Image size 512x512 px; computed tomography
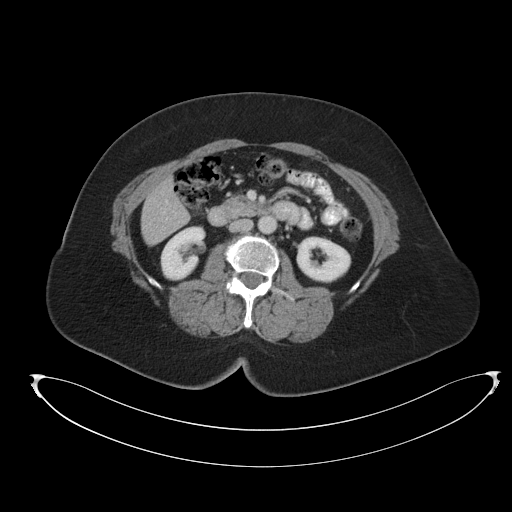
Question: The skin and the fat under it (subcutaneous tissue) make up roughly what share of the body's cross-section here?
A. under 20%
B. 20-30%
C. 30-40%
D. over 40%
Answer: D. over 40%
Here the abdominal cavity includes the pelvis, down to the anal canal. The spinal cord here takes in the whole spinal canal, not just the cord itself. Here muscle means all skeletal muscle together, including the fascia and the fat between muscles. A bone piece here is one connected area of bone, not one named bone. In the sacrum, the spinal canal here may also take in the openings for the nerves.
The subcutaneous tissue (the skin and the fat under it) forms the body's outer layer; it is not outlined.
{"spinal_cord":[[[246,272],[250,272],[251,273],[256,273],[257,274],[259,274],[260,275],[261,275],[264,278],[264,280],[262,282],[261,282],[259,284],[258,284],[255,287],[254,287],[253,288],[250,288],[249,287],[246,286],[240,279],[240,275],[242,273],[245,273]]],"abdominal_cavity":[[[240,147],[275,148],[310,157],[327,166],[358,194],[371,219],[373,251],[367,266],[349,287],[332,291],[322,285],[303,286],[285,251],[258,234],[243,234],[217,243],[199,277],[172,286],[161,284],[142,266],[130,238],[131,213],[176,170],[202,157]]],"torso":[[[241,91],[331,101],[362,113],[389,134],[407,159],[450,244],[477,279],[480,315],[464,340],[344,387],[275,397],[252,386],[241,367],[204,389],[161,383],[81,348],[56,331],[44,301],[49,262],[77,195],[104,151],[124,131],[159,109],[194,97]]],"muscle":[{"outer":[[223,138],[237,138],[246,142],[258,143],[291,141],[319,149],[371,179],[385,194],[398,215],[401,229],[399,249],[384,261],[376,279],[369,287],[341,311],[323,333],[305,345],[280,345],[268,342],[249,329],[243,329],[231,335],[215,338],[198,337],[187,333],[176,325],[164,308],[155,305],[149,294],[133,282],[128,262],[122,255],[113,251],[111,247],[112,204],[116,195],[128,182],[148,168],[168,162],[206,143]],"hole":[[240,147],[310,157],[358,194],[373,251],[353,292],[303,286],[280,248],[272,285],[294,299],[270,290],[257,296],[246,328],[244,299],[225,287],[234,271],[224,254],[229,240],[211,248],[199,277],[162,289],[148,281],[130,238],[131,213],[176,170]]}],"bones":[{"outer":[[243,235],[261,236],[277,249],[280,261],[272,277],[272,285],[294,298],[291,300],[270,290],[264,295],[257,296],[253,301],[251,310],[252,324],[248,328],[243,324],[244,299],[239,294],[229,293],[225,287],[234,271],[227,262],[224,252],[231,241]],"hole":[[246,272],[250,272],[251,273],[256,273],[257,274],[259,274],[260,275],[261,275],[264,278],[264,280],[262,282],[261,282],[259,284],[258,284],[255,287],[254,287],[253,288],[250,288],[249,287],[246,286],[240,279],[240,275],[242,273],[245,273]]},[[147,275],[149,275],[150,276],[151,276],[153,278],[154,278],[161,285],[161,286],[162,287],[162,289],[159,289],[158,288],[157,288],[156,287],[155,287],[153,285],[152,285],[148,281],[148,280],[147,279]],[[357,280],[360,280],[360,284],[358,286],[358,287],[353,292],[352,292],[351,293],[349,293],[348,292],[348,291],[349,290],[349,289],[350,288],[350,287]]]}